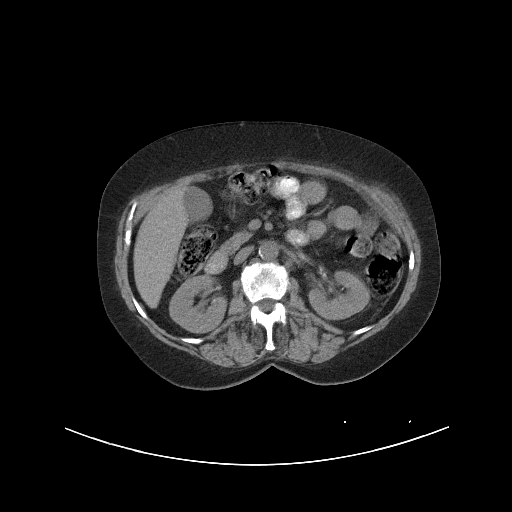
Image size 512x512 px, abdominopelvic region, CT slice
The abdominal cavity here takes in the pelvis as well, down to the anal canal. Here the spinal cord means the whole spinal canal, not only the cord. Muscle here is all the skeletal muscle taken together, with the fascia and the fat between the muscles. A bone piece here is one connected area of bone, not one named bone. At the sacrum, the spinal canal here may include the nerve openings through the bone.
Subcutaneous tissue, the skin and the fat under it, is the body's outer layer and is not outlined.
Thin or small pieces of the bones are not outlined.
The spinal cord is outlined by (266, 298) (269, 298) (270, 299) (272, 299) (275, 301) (275, 302) (274, 303) (274, 305) (273, 306) (273, 309) (271, 311) (270, 311) (269, 312) (264, 312) (263, 311) (262, 311) (259, 308) (259, 307) (256, 304) (260, 300) (262, 300) (263, 299) (265, 299). The bones appear in 6 outlined pieces: piece 1: (254, 262) (277, 263) (285, 268) (289, 276) (287, 290) (281, 299) (286, 309) (286, 323) (275, 322) (273, 324) (272, 340) (274, 349) (272, 350) (265, 348) (265, 328) (260, 324) (254, 326) (252, 324) (250, 317) (251, 303) (245, 296) (241, 286) (242, 269) (244, 266); inner edge: (266, 298) (269, 298) (270, 299) (272, 299) (275, 301) (275, 302) (274, 303) (274, 305) (273, 306) (273, 309) (271, 311) (270, 311) (269, 312) (264, 312) (263, 311) (262, 311) (259, 308) (259, 307) (256, 304) (260, 300) (262, 300) (263, 299) (265, 299); piece 2: (135, 200) (137, 201) (137, 204) (135, 207) (135, 209) (133, 213) (133, 217) (131, 221) (131, 224) (132, 225) (131, 238) (130, 239) (130, 243) (129, 244) (129, 246) (126, 250) (124, 248) (124, 233) (126, 228) (126, 220) (127, 219) (129, 211) (131, 208) (131, 206); piece 3: (132, 296) (134, 296) (135, 297) (135, 298) (137, 300) (137, 301) (139, 303) (139, 304) (141, 306) (141, 307) (144, 310) (144, 311) (147, 314) (147, 315) (149, 317) (149, 319) (145, 319) (138, 312) (138, 311) (137, 310) (137, 309) (136, 308) (136, 307) (132, 300); piece 4: (180, 337) (190, 337) (191, 338) (201, 338) (203, 340) (202, 341) (202, 342) (201, 342) (200, 343) (199, 343) (198, 344) (195, 344) (194, 343) (190, 343) (189, 342) (185, 342) (184, 341) (183, 341) (182, 340) (181, 340) (181, 339) (180, 338); piece 5: (411, 250) (412, 250) (413, 251) (413, 252) (414, 253) (414, 263) (413, 264) (413, 269) (411, 271) (409, 271) (409, 270) (408, 269) (408, 257) (409, 256) (409, 252); piece 6: (372, 324) (373, 324) (373, 326) (370, 329) (369, 329) (368, 330) (367, 330) (360, 334) (358, 334) (357, 335) (353, 335) (352, 334) (352, 332) (354, 330) (356, 330) (359, 328) (361, 328) (362, 327) (364, 327) (365, 326) (367, 326) (368, 325) (371, 325). The torso is outlined by (234, 120) (297, 121) (352, 132) (399, 155) (422, 180) (431, 200) (441, 256) (437, 299) (418, 334) (366, 376) (345, 383) (318, 385) (271, 366) (231, 387) (183, 388) (148, 368) (110, 323) (102, 305) (96, 267) (97, 219) (106, 184) (129, 157) (156, 139) (191, 126). The abdominal cavity is outlined by (256, 165) (339, 181) (356, 191) (397, 232) (408, 253) (407, 272) (397, 300) (385, 315) (353, 330) (332, 325) (306, 306) (298, 281) (274, 261) (243, 266) (233, 282) (227, 317) (209, 334) (175, 335) (148, 315) (134, 295) (128, 275) (133, 228) (166, 195) (190, 183). The muscle is outlined by (275, 158) (276, 159) (283, 159) (290, 162) (314, 163) (319, 165) (332, 166) (338, 169) (346, 170) (354, 175) (359, 176) (370, 181) (383, 183) (393, 191) (401, 200) (409, 216) (412, 225) (416, 231) (417, 236) (420, 242) (421, 262) (420, 263) (420, 270) (418, 274) (416, 287) (404, 307) (392, 318) (383, 329) (361, 342) (348, 348) (344, 351) (340, 352) (327, 361) (322, 363) (317, 363) (316, 364) (312, 363) (310, 365) (306, 365) (305, 364) (294, 363) (287, 359) (284, 359) (280, 356) (272, 354) (263, 358) (257, 363) (251, 364) (248, 366) (244, 366) (243, 367) (221, 367) (202, 360) (183, 350) (180, 350) (172, 347) (156, 338) (135, 317) (134, 314) (127, 307) (118, 287) (117, 280) (115, 276) (115, 268) (114, 267) (114, 256) (116, 248) (115, 245) (116, 244) (116, 235) (117, 234) (118, 223) (122, 212) (131, 197) (134, 194) (147, 187) (150, 187) (153, 185) (156, 185) (163, 182) (171, 181) (182, 175) (185, 175) (189, 173) (206, 170) (210, 168) (215, 168) (219, 166) (227, 166) (236, 162) (243, 162) (244, 161) (258, 160) (259, 159) (274, 159) with a hole at (256, 165) (349, 186) (413, 251) (413, 269) (397, 300) (370, 329) (353, 335) (317, 316) (293, 276) (281, 299) (286, 323) (272, 326) (272, 350) (265, 348) (265, 328) (252, 324) (239, 279) (227, 317) (198, 344) (138, 312) (124, 248) (133, 202) (133, 228) (166, 195).